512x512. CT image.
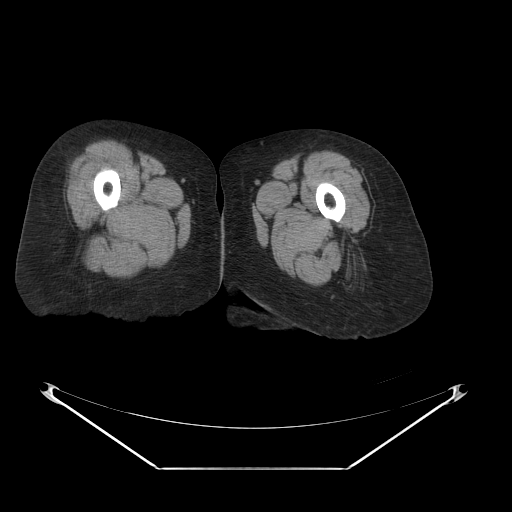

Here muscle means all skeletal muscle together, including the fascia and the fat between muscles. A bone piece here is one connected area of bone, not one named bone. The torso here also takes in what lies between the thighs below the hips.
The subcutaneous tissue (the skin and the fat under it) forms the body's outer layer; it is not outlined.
The right leg is outlined by (97, 118) (131, 120) (176, 133) (201, 148) (212, 161) (218, 172) (216, 200) (220, 212) (219, 254) (223, 275) (220, 288) (204, 305) (176, 317) (152, 318) (143, 324) (91, 313) (37, 318) (23, 305) (15, 288) (14, 268) (33, 173) (47, 148) (60, 134) (76, 124). The bones appear in 2 outlined pieces: piece 1: (103, 168) (112, 168) (118, 173) (119, 175) (119, 179) (120, 180) (120, 186) (121, 187) (121, 190) (120, 191) (120, 198) (117, 203) (117, 205) (115, 207) (110, 208) (105, 211) (101, 208) (101, 207) (96, 201) (94, 196) (94, 193) (93, 192) (93, 179) (96, 173); piece 2: (321, 182) (329, 182) (333, 184) (335, 186) (336, 186) (344, 195) (344, 198) (345, 199) (345, 212) (343, 216) (341, 218) (340, 221) (338, 222) (336, 222) (331, 219) (326, 218) (320, 212) (316, 204) (316, 201) (315, 200) (315, 191) (316, 190) (316, 188) (318, 184). The left leg is outlined by (295, 128) (330, 129) (363, 140) (379, 150) (401, 177) (427, 243) (433, 276) (433, 292) (427, 309) (403, 329) (373, 339) (361, 337) (357, 340) (334, 341) (275, 318) (239, 292) (227, 278) (220, 254) (220, 208) (223, 203) (218, 178) (220, 162) (230, 149) (240, 143). The muscle appears in 2 outlined pieces: piece 1: (102, 138) (113, 138) (133, 149) (140, 150) (157, 158) (163, 163) (169, 173) (185, 188) (191, 210) (189, 239) (185, 247) (170, 263) (160, 269) (122, 281) (101, 278) (84, 272) (75, 266) (78, 239) (76, 232) (71, 226) (63, 200) (63, 188) (68, 163) (88, 143); inner edge: (103, 168) (112, 168) (118, 173) (119, 175) (119, 179) (120, 180) (120, 186) (121, 187) (121, 190) (120, 191) (120, 198) (117, 203) (117, 205) (115, 207) (110, 208) (105, 211) (101, 208) (101, 207) (96, 201) (94, 196) (94, 193) (93, 192) (93, 179) (96, 173); piece 2: (323, 149) (339, 152) (352, 158) (363, 167) (375, 204) (372, 227) (360, 242) (362, 254) (372, 280) (367, 286) (355, 290) (337, 282) (330, 287) (314, 290) (288, 277) (272, 265) (255, 235) (251, 213) (251, 200) (258, 187) (267, 180) (272, 166) (296, 153) (306, 153); inner edge: (321, 182) (329, 182) (333, 184) (335, 186) (336, 186) (344, 195) (344, 198) (345, 199) (345, 212) (343, 216) (341, 218) (340, 221) (338, 222) (336, 222) (331, 219) (326, 218) (320, 212) (316, 204) (316, 201) (315, 200) (315, 191) (316, 190) (316, 188) (318, 184). The torso is outlined by (224, 273) (226, 278) (230, 282) (232, 286) (244, 297) (259, 305) (275, 319) (289, 326) (304, 331) (295, 331) (291, 333) (281, 334) (271, 331) (258, 330) (253, 328) (245, 328) (238, 330) (232, 329) (226, 323) (224, 317) (224, 306) (228, 300) (224, 289) (221, 287).